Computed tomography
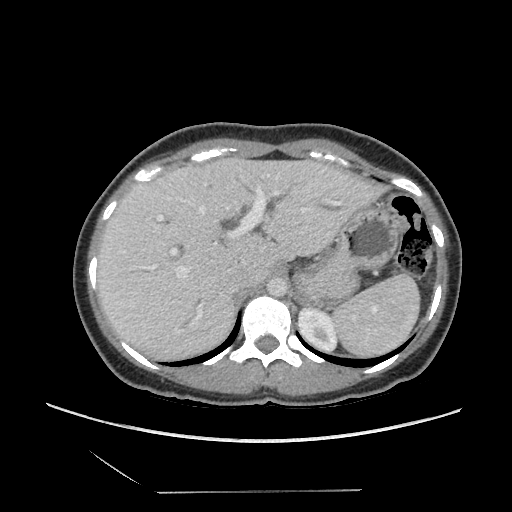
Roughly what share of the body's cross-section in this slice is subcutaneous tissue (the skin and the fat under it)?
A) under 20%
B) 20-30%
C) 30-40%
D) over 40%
Answer: A) under 20%
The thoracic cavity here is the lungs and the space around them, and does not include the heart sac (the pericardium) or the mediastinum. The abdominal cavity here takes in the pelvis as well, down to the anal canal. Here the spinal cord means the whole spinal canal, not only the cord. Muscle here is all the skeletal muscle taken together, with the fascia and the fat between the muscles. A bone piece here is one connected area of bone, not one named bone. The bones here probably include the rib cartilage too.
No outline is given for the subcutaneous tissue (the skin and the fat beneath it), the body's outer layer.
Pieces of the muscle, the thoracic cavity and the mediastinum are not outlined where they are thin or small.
The mediastinum is outlined by 279,276 284,277 287,280 287,282 289,286 289,289 290,290 290,311 289,306 283,300 273,297 265,293 263,294 259,294 258,295 253,296 250,298 253,295 255,291 256,291 265,282 274,277 278,277. The bones appear in 11 outlined pieces: piece 1: 264,294 288,306 291,325 302,344 326,361 317,362 300,353 298,367 280,358 264,367 258,358 237,362 225,354 212,364 201,364 231,344 234,343 235,348 241,344 242,340 236,340 236,337 242,311 250,299, around a hole outlined by 265,335 271,335 272,336 273,336 278,341 278,345 274,349 273,349 271,351 270,351 268,353 265,353 264,352 263,352 261,350 260,350 256,346 256,345 255,344 255,342 260,337 261,337 262,336 264,336; piece 2: 401,175 402,176 405,176 409,178 411,180 412,180 419,187 420,190 422,192 422,196 420,197 418,197 414,195 411,192 401,187 399,187 395,184 392,183 390,181 392,178 394,177 396,177 397,176 400,176; piece 3: 215,147 234,147 235,148 237,148 237,150 236,151 227,151 221,155 217,155 212,157 202,158 201,159 197,159 196,160 191,160 190,159 191,155 194,153 199,152 202,150 207,150 208,149 214,148; piece 4: 121,340 123,340 125,341 132,348 133,348 136,351 137,351 152,363 154,364 156,364 159,367 159,368 158,369 153,369 152,368 150,368 146,366 144,364 141,363 136,359 135,359 121,345 121,343 120,342; piece 5: 157,165 158,165 159,166 163,166 164,167 164,168 160,171 159,171 157,173 156,173 150,179 149,179 148,180 144,180 143,181 136,181 133,178 134,175 140,169 141,169 142,168 150,168 152,166 156,166; piece 6: 312,150 316,150 317,151 320,151 323,153 327,153 329,152 347,161 349,163 349,166 345,166 339,163 337,161 331,161 328,159 323,159 322,158 317,158 316,157 312,157 309,155 309,152; piece 7: 436,284 440,284 441,285 441,295 440,296 439,303 437,306 436,310 434,312 431,319 430,320 428,320 427,319 427,316 428,315 428,313 430,309 430,305 432,301 432,298 434,294 434,290 435,289 435,286; piece 8: 399,352 400,352 400,354 398,356 398,357 394,361 393,361 390,364 384,367 382,369 380,370 378,370 377,371 375,371 374,372 371,372 370,373 364,373 363,372 366,368 368,367 371,367 393,356 395,354; piece 9: 93,256 96,256 96,257 97,258 97,263 96,264 97,265 96,266 96,290 93,289 93,288 91,285 91,282 89,279 89,274 88,273 88,267 89,266 89,262 90,261 91,258; piece 10: 433,223 434,224 435,224 441,230 441,231 442,232 442,234 443,235 443,246 442,247 439,247 437,245 437,244 435,241 435,239 434,238 434,235 433,234 433,232 432,231 432,228 431,227 431,225; piece 11: 113,200 116,200 117,201 117,204 115,206 115,207 114,208 114,209 113,210 113,211 111,213 111,214 109,216 109,217 106,220 103,220 102,219 102,215 103,214 103,212 104,211 104,210 105,209 105,208. The abdominal cavity is outlined by 274,151 374,175 417,198 436,250 427,313 415,333 387,353 367,359 330,355 294,330 290,286 279,275 254,291 217,347 189,359 151,361 122,339 100,302 97,254 107,220 130,191 166,169 213,157 257,157. The thoracic cavity appears in 2 outlined pieces: piece 1: 296,333 299,334 301,338 308,345 319,352 330,356 335,356 340,358 349,358 356,360 367,360 372,358 377,358 391,352 411,337 412,338 403,349 393,355 371,366 360,367 359,366 342,365 328,361 307,348; piece 2: 240,313 240,325 235,339 232,343 215,355 202,361 200,363 195,363 183,366 167,366 160,364 164,362 179,362 182,360 189,360 192,358 201,356 217,348 218,346 222,344 228,338 232,332 232,330 234,328. The spinal cord is outlined by 265,335 271,335 272,336 273,336 278,341 278,345 274,349 273,349 271,351 270,351 268,353 265,353 264,352 263,352 261,350 260,350 256,346 256,345 255,344 255,342 260,337 261,337 262,336 264,336. The torso is outlined by 208,122 262,126 309,122 347,127 393,147 429,178 456,226 462,272 450,327 421,373 381,394 320,406 270,401 232,405 154,395 130,386 107,367 82,325 73,294 73,259 82,224 104,189 135,155 174,130. The muscle is outlined by 216,137 271,144 325,138 344,145 378,166 405,175 388,180 349,167 350,163 344,158 316,149 308,152 311,157 295,157 279,150 257,156 217,156 236,152 238,148 234,146 202,149 190,155 191,161 162,171 165,167 158,164 140,168 132,178 143,182 118,202 113,199 104,208 101,219 106,221 97,253 90,258 87,267 90,285 97,292 103,313 121,338 120,345 135,360 158,370 157,364 167,367 208,366 228,355 237,363 255,358 267,368 280,359 298,368 302,364 302,354 317,363 327,361 365,368 364,374 387,367 412,340 426,315 428,321 432,319 442,295 442,285 436,283 435,242 442,248 444,235 435,223 430,224 418,199 423,192 414,181 429,195 450,242 445,303 440,320 426,342 383,373 341,389 297,396 282,395 268,388 250,394 201,390 160,377 124,357 103,335 89,301 85,268 96,220 108,198 135,169 188,144.